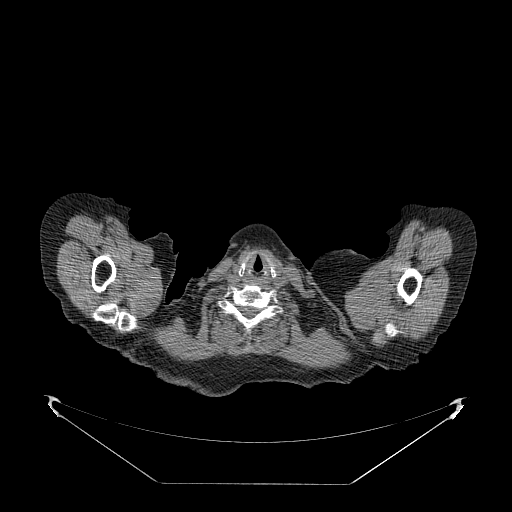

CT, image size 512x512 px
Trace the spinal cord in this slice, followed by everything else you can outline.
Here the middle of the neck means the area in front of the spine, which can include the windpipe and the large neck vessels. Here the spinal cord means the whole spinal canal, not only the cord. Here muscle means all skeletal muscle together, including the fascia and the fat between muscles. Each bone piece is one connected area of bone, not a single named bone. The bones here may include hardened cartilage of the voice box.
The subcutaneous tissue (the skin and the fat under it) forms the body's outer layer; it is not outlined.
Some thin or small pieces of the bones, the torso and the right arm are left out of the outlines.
The spinal cord is outlined by 240 306; 247 306; 248 307; 254 307; 255 308; 257 308; 258 309; 259 309; 259 311; 253 317; 252 317; 251 318; 247 318; 245 316; 244 316; 241 313; 241 312; 239 310; 239 307. The right arm is outlined by 69 192; 112 197; 130 207; 129 229; 138 239; 166 232; 173 240; 173 250; 178 253; 174 275; 165 296; 167 302; 172 300; 123 357; 94 341; 77 324; 70 323; 63 315; 58 299; 47 289; 43 280; 39 247; 41 220; 49 205. The bones appear in 7 outlined pieces: piece 1: 244 284; 255 284; 266 291; 274 289; 279 304; 284 310; 282 313; 277 314; 272 318; 264 319; 258 323; 251 330; 249 337; 248 335; 244 335; 243 326; 231 314; 225 314; 216 304; 217 300; 221 298; 229 286; 242 288, around a hole outlined by 240 306; 247 306; 248 307; 254 307; 255 308; 257 308; 258 309; 259 309; 259 311; 253 317; 252 317; 251 318; 247 318; 245 316; 244 316; 241 313; 241 312; 239 310; 239 307; piece 2: 104 302; 113 302; 117 304; 120 309; 123 308; 128 312; 136 315; 138 317; 138 323; 140 326; 140 328; 139 329; 136 329; 131 332; 122 332; 116 324; 113 324; 112 323; 105 324; 101 322; 94 321; 90 317; 90 314; 99 304; piece 3: 101 254; 105 254; 107 255; 109 257; 109 258; 113 261; 115 265; 115 267; 116 268; 116 274; 115 275; 115 280; 114 282; 112 283; 104 292; 100 294; 99 293; 96 293; 91 287; 91 270; 92 269; 92 263; 93 262; 94 258; piece 4: 408 267; 415 267; 422 275; 422 280; 421 281; 421 285; 419 289; 419 292; 417 295; 417 297; 411 305; 407 304; 401 296; 398 293; 397 294; 397 290; 396 289; 396 286; 397 285; 397 283; 399 281; 400 277; 408 268; piece 5: 388 321; 391 321; 402 331; 402 333; 401 334; 398 334; 393 338; 387 339; 385 342; 380 343; 377 345; 374 345; 371 343; 370 341; 370 337; 372 333; 374 331; 376 331; 377 330; 379 331; 380 330; 381 331; 383 329; 384 324; piece 6: 252 251; 256 251; 254 252; 252 252; 250 254; 249 256; 249 258; 247 260; 245 264; 245 268; 243 270; 243 274; 241 276; 240 276; 237 273; 237 270; 239 268; 242 262; 242 260; 250 252; piece 7: 266 257; 268 257; 274 263; 274 265; 275 266; 275 269; 276 270; 276 272; 277 273; 277 275; 275 277; 272 277; 272 276; 271 275; 271 272; 270 271; 270 267; 269 266; 269 264; 268 263; 268 262; 267 261; 267 260; 266 259. The left arm is outlined by 408 203; 463 210; 475 227; 476 254; 458 312; 433 349; 420 355; 418 363; 407 369; 387 370; 378 366; 374 369; 346 322; 321 294; 310 267; 319 255; 332 249; 351 248; 368 257; 381 255; 389 242; 386 230; 399 220; 401 208. The torso appears in 2 outlined pieces: piece 1: 319 290; 320 294; 345 322; 363 348; 369 359; 373 370; 350 384; 329 382; 320 384; 312 389; 304 387; 301 385; 285 382; 288 381; 303 367; 306 361; 313 354; 319 342; 319 339; 322 332; 322 312; 321 311; 321 303; 319 298; piece 2: 174 298; 176 300; 177 330; 182 348; 184 350; 184 353; 189 361; 190 365; 199 375; 207 381; 219 386; 225 391; 230 392; 231 394; 220 397; 209 397; 201 395; 185 387; 167 383; 157 378; 149 369; 141 365; 132 363; 124 357. The muscle is outlined by 76 211; 96 216; 115 215; 130 238; 153 247; 161 267; 163 294; 157 309; 162 312; 171 310; 191 287; 247 238; 273 244; 334 303; 336 290; 347 277; 393 253; 404 225; 412 216; 446 221; 454 226; 459 239; 444 309; 434 329; 423 339; 397 339; 368 353; 360 353; 336 368; 306 369; 268 355; 215 356; 184 363; 170 360; 130 336; 102 327; 71 304; 57 279; 56 250; 62 227; inner edges: 252 251; 265 254; 274 263; 277 277; 281 282; 259 285; 266 291; 274 289; 284 310; 258 323; 251 330; 249 337; 244 335; 243 326; 231 314; 225 314; 216 302; 229 286; 242 288; 246 283; 232 281; 230 276; 236 273; 242 260, then 104 302; 113 302; 117 304; 120 309; 123 308; 128 312; 136 315; 138 317; 138 323; 140 326; 140 328; 139 329; 136 329; 131 332; 122 332; 116 324; 113 324; 112 323; 105 324; 101 322; 94 321; 90 317; 90 314; 99 304, then 101 254; 105 254; 107 255; 109 257; 109 258; 113 261; 115 265; 115 267; 116 268; 116 274; 115 275; 115 280; 114 282; 112 283; 104 292; 100 294; 99 293; 96 293; 91 287; 91 270; 92 269; 92 263; 93 262; 94 258, then 408 267; 415 267; 422 275; 422 280; 421 281; 421 285; 419 289; 419 292; 417 295; 417 297; 411 305; 407 304; 401 296; 398 293; 397 294; 397 290; 396 289; 396 286; 397 285; 397 283; 399 281; 400 277; 408 268, then 388 321; 391 321; 402 331; 402 333; 401 334; 398 334; 393 338; 387 339; 385 342; 380 343; 377 345; 374 345; 371 343; 370 341; 370 337; 372 333; 374 331; 376 331; 377 330; 379 331; 380 330; 381 331; 383 329; 384 324. The head and neck is outlined by 253 222; 261 222; 270 226; 302 263; 309 268; 318 290; 321 332; 310 357; 288 380; 284 382; 248 383; 232 393; 207 380; 191 365; 178 330; 176 297; 182 294; 192 276; 201 276; 207 267; 218 262; 226 251; 230 237; 237 230. The middle of the neck is outlined by 257 251; 267 256; 265 259; 269 267; 270 275; 272 278; 275 278; 277 276; 281 281; 280 283; 264 283; 259 285; 255 283; 246 283; 244 281; 232 281; 230 279; 230 276; 236 272; 240 277; 244 274; 246 264; 251 254.